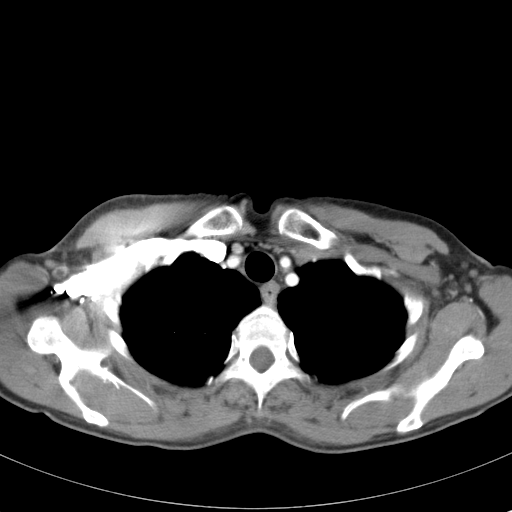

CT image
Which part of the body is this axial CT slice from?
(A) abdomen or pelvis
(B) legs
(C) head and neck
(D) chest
(D) chest
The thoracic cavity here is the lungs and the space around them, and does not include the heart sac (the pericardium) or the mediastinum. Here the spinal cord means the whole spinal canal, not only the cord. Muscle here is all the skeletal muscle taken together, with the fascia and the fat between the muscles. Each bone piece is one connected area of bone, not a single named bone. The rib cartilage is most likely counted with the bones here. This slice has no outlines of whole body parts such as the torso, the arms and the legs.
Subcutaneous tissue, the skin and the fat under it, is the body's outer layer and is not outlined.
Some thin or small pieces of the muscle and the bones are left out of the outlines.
Outlines:
thoracic cavity 1: (185, 252) (195, 252) (223, 269) (237, 271) (257, 288) (261, 302) (245, 314) (231, 332) (230, 345) (222, 362) (222, 368) (198, 385) (180, 385) (170, 382) (138, 363) (122, 336) (123, 327) (120, 316) (123, 295) (132, 284) (158, 267) (170, 266)
thoracic cavity 2: (332, 258) (343, 260) (358, 277) (373, 278) (376, 281) (381, 280) (390, 286) (402, 298) (406, 312) (405, 337) (391, 359) (380, 369) (369, 375) (342, 383) (320, 381) (301, 366) (301, 359) (294, 342) (294, 334) (277, 309) (279, 294) (299, 283) (298, 268) (309, 262)
bones 1: (116, 293) (120, 333) (136, 363) (113, 349) (100, 364) (156, 408) (83, 370) (70, 382) (106, 417) (109, 423) (100, 427) (83, 418) (61, 387) (59, 358) (34, 352) (26, 334) (34, 318) (54, 315) (79, 347) (101, 348) (108, 342) (106, 328) (115, 327) (102, 303)
bones 2: (261, 304) (275, 308) (292, 332) (300, 366) (311, 375) (311, 381) (306, 384) (294, 378) (280, 381) (265, 395) (258, 411) (254, 390) (242, 380) (231, 378) (218, 387) (207, 385) (205, 382) (209, 376) (215, 376) (223, 368) (223, 362) (230, 349) (232, 332) (240, 320), around a hole outlined by (262, 346) (263, 347) (265, 347) (267, 348) (272, 354) (273, 356) (273, 361) (266, 369) (265, 369) (263, 371) (259, 371) (257, 370) (251, 364) (250, 362) (250, 356) (251, 354) (257, 348) (259, 347) (261, 347)
bones 3: (467, 334) (481, 340) (483, 355) (465, 360) (455, 369) (447, 384) (424, 407) (424, 423) (419, 428) (406, 433) (396, 431) (398, 422) (414, 403) (412, 397) (401, 394) (388, 401) (363, 403) (341, 419) (343, 409) (354, 399) (395, 383) (407, 391) (430, 377) (452, 346)
bones 4: (291, 207) (295, 207) (305, 211) (323, 226) (332, 231) (337, 237) (334, 243) (329, 248) (326, 249) (319, 249) (309, 243) (303, 241) (300, 241) (299, 240) (296, 240) (290, 238) (285, 235) (280, 234) (278, 231) (278, 228) (277, 227) (278, 220) (281, 214) (286, 209)
bones 5: (222, 204) (230, 205) (234, 207) (238, 211) (243, 220) (243, 228) (241, 230) (239, 230) (233, 234) (227, 234) (226, 235) (211, 235) (210, 236) (204, 236) (203, 237) (198, 237) (197, 238) (189, 238) (187, 236) (185, 236) (184, 233) (190, 225) (205, 214) (212, 207)
bones 6: (407, 290) (409, 290) (413, 292) (415, 294) (420, 295) (423, 298) (423, 308) (422, 309) (422, 312) (419, 318) (410, 326) (408, 327) (405, 327) (405, 324) (406, 323) (406, 320) (407, 319) (407, 312) (406, 311) (406, 309) (403, 303) (403, 296) (405, 292)
bones 7: (416, 331) (418, 332) (418, 336) (417, 337) (417, 339) (416, 340) (416, 342) (415, 343) (413, 350) (402, 361) (401, 361) (395, 366) (387, 370) (378, 372) (379, 370) (380, 370) (392, 359) (392, 358) (394, 356) (394, 354) (396, 350) (404, 341) (406, 336) (410, 335)
bones 8: (346, 249) (347, 249) (353, 255) (353, 256) (356, 259) (356, 260) (361, 265) (365, 266) (366, 267) (378, 267) (380, 271) (380, 279) (379, 280) (376, 280) (373, 277) (369, 277) (368, 276) (358, 276) (356, 274) (355, 274) (347, 265) (347, 264) (343, 259) (344, 251)
bones 9: (176, 249) (184, 249) (187, 251) (185, 251) (181, 253) (170, 265) (168, 265) (167, 266) (165, 265) (164, 266) (158, 266) (155, 268) (153, 268) (149, 272) (147, 272) (146, 271) (146, 262) (148, 257) (151, 255) (154, 255) (155, 254) (166, 254) (171, 250) (175, 250)
muscle: (187, 199) (246, 199) (259, 218) (279, 203) (325, 202) (431, 229) (449, 247) (448, 255) (436, 255) (443, 275) (511, 276) (511, 386) (424, 424) (425, 407) (456, 369) (485, 353) (482, 340) (467, 333) (430, 376) (407, 390) (395, 382) (342, 409) (345, 420) (368, 402) (412, 398) (395, 426) (403, 434) (323, 444) (278, 425) (237, 423) (200, 439) (166, 441) (102, 428) (110, 423) (107, 417) (71, 382) (83, 371) (157, 408) (101, 364) (113, 350) (180, 386) (218, 388) (240, 380) (253, 390) (258, 412) (282, 381) (306, 385) (315, 376) (342, 384) (387, 371) (414, 350) (419, 332) (406, 335) (405, 328) (423, 312) (420, 294) (407, 289) (402, 297) (381, 279) (378, 266) (361, 264) (347, 248) (342, 259) (296, 242) (234, 234) (244, 228) (243, 217) (222, 203) (184, 231) (192, 239) (186, 249) (148, 256) (147, 273) (129, 286) (121, 303) (119, 292) (107, 294) (100, 309) (114, 327) (105, 328) (105, 345) (79, 346) (54, 314) (31, 320) (25, 342) (36, 354) (58, 358) (58, 383) (85, 421) (14, 393) (0, 382) (0, 272) (18, 259) (68, 261) (74, 240) (114, 208), around a hole outlined by (291, 207) (295, 207) (305, 211) (323, 226) (332, 231) (337, 237) (334, 243) (329, 248) (326, 249) (319, 249) (309, 243) (303, 241) (300, 241) (299, 240) (296, 240) (290, 238) (285, 235) (280, 234) (278, 231) (278, 228) (277, 227) (278, 220) (281, 214) (286, 209)
mediastinum: (238, 234) (253, 235) (256, 238) (263, 238) (273, 243) (296, 243) (332, 257) (309, 261) (298, 267) (296, 269) (299, 276) (298, 283) (283, 289) (278, 294) (276, 308) (262, 303) (258, 288) (237, 270) (223, 268) (195, 251) (187, 250) (187, 243) (193, 239)
spinal cord: (262, 346) (263, 347) (265, 347) (267, 348) (272, 354) (273, 356) (273, 361) (266, 369) (265, 369) (263, 371) (259, 371) (257, 370) (251, 364) (250, 362) (250, 356) (251, 354) (257, 348) (259, 347) (261, 347)